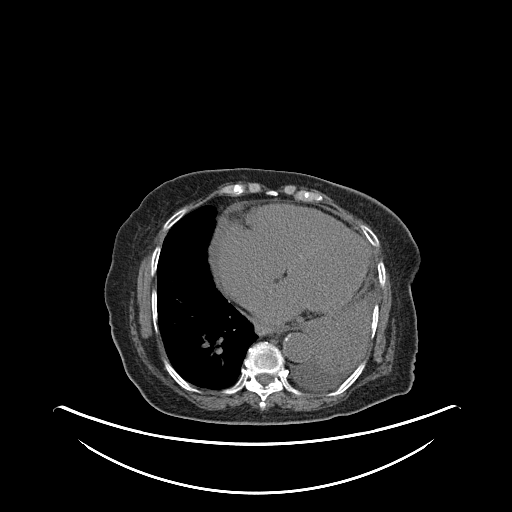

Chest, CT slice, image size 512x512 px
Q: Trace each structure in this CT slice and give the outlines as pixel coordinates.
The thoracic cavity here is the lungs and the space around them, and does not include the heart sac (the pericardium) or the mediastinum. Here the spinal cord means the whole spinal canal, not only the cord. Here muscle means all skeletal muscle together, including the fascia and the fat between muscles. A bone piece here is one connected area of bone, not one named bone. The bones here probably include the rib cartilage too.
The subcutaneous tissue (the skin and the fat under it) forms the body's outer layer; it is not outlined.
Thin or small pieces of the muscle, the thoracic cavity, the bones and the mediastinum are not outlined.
A: {"bones":[{"outer":[[262,341],[274,345],[281,352],[284,365],[289,371],[287,375],[288,381],[302,392],[301,395],[296,395],[285,389],[274,391],[266,397],[263,409],[259,406],[261,399],[254,391],[243,388],[232,394],[221,392],[221,390],[232,386],[238,380],[248,349]],"hole":[[259,374],[269,374],[270,375],[271,375],[272,376],[272,380],[270,382],[269,382],[266,385],[263,385],[261,383],[260,383],[257,380],[257,379],[256,378],[256,376],[257,375],[258,375]]},[[250,182],[255,182],[259,184],[262,189],[262,191],[261,192],[259,192],[258,193],[249,193],[248,192],[240,195],[229,195],[228,194],[222,194],[220,192],[220,189],[226,185],[229,185],[234,183],[239,183],[240,184],[244,184],[246,185]],[[290,184],[294,185],[298,189],[303,189],[304,190],[307,190],[314,193],[317,193],[322,196],[322,200],[318,202],[316,201],[308,202],[307,201],[296,200],[291,195],[287,195],[286,194],[284,194],[282,192],[283,188],[286,185],[289,185]],[[363,360],[365,360],[366,361],[365,366],[362,370],[361,373],[358,376],[358,377],[355,380],[355,381],[343,392],[337,395],[335,395],[334,396],[328,396],[327,395],[327,393],[335,390],[354,371],[354,370],[357,367],[357,366],[360,363],[360,362]],[[162,358],[166,358],[168,360],[168,361],[170,363],[172,367],[183,379],[184,379],[192,386],[197,388],[201,392],[200,393],[198,393],[197,392],[193,392],[192,391],[186,390],[182,387],[181,387],[175,381],[175,380],[166,370],[164,366]],[[182,207],[186,207],[188,209],[188,211],[176,222],[175,222],[167,231],[164,231],[162,229],[162,227],[164,223],[166,221],[166,220],[167,220],[168,218],[169,218],[170,216],[172,215],[172,214],[173,214],[176,211],[177,211]],[[360,224],[365,224],[366,225],[367,225],[374,232],[374,233],[377,236],[377,237],[379,240],[379,247],[378,248],[377,248],[376,247],[374,247],[370,244],[370,243],[368,241],[368,240],[362,232],[362,231],[359,226],[359,225]],[[153,289],[156,289],[156,293],[157,294],[157,326],[158,327],[158,333],[156,333],[156,332],[155,331],[155,330],[154,329],[154,325],[153,324],[153,317],[152,316],[152,308],[151,307],[151,292],[152,291],[152,290]],[[157,245],[160,245],[161,246],[160,247],[160,252],[159,253],[159,257],[158,258],[158,261],[157,262],[157,268],[156,269],[156,272],[155,273],[155,275],[154,276],[152,276],[151,275],[151,256],[152,255],[152,252],[153,251],[154,248]],[[380,260],[382,260],[383,261],[384,263],[384,265],[385,266],[385,282],[384,283],[384,285],[383,287],[381,287],[380,286],[379,284],[379,282],[378,281],[378,278],[377,277],[377,269],[376,268],[376,265],[377,263]],[[376,303],[378,304],[378,306],[379,307],[379,309],[378,310],[378,319],[377,320],[377,325],[376,326],[376,329],[375,330],[374,336],[373,338],[371,338],[370,337],[370,334],[371,333],[371,321],[372,320],[372,312],[373,311],[374,305]]],"pericardium":[[[274,199],[291,200],[330,207],[347,218],[360,232],[361,231],[371,246],[373,251],[373,273],[369,283],[360,294],[336,312],[314,318],[307,323],[273,325],[248,316],[228,300],[216,285],[210,267],[209,248],[216,229],[218,217],[224,210],[238,202]]],"mediastinum":[[[232,304],[248,317],[259,320],[273,326],[288,326],[306,323],[307,330],[312,338],[312,352],[309,358],[299,365],[291,365],[289,367],[286,367],[285,359],[282,352],[274,344],[266,340],[258,341],[252,344],[258,338],[258,336],[254,331],[254,326]],[[248,193],[249,194],[264,193],[268,196],[273,197],[283,194],[287,196],[291,196],[295,200],[274,198],[273,199],[251,199],[238,201],[224,209],[217,217],[217,222],[216,221],[217,216],[216,208],[211,204],[204,204],[206,202],[220,195],[240,196]],[[374,258],[374,262],[375,263],[375,275],[373,277],[373,279],[372,280],[372,285],[365,292],[365,293],[356,301],[355,301],[352,304],[346,307],[344,307],[355,299],[358,296],[358,295],[360,295],[370,283],[370,281],[372,279],[372,276],[374,273]]],"torso":[[[221,168],[260,168],[313,175],[361,191],[401,219],[421,257],[411,285],[418,349],[414,380],[407,393],[349,415],[285,425],[229,425],[186,419],[163,413],[144,399],[124,370],[112,339],[104,300],[114,239],[119,227],[142,199],[163,182],[189,172]]],"spinal_cord":[[[259,374],[269,374],[270,375],[271,375],[272,376],[272,380],[270,382],[269,382],[266,385],[263,385],[261,383],[260,383],[257,380],[257,379],[256,378],[256,376],[257,375],[258,375]]],"muscle":[[[162,225],[161,229],[166,233],[161,245],[157,244],[150,256],[150,275],[156,277],[156,288],[150,292],[152,324],[167,357],[161,358],[163,366],[184,390],[200,394],[198,388],[202,388],[232,395],[245,389],[258,395],[258,406],[259,408],[262,410],[266,407],[267,397],[274,392],[285,390],[296,396],[301,396],[302,391],[328,392],[328,397],[334,397],[347,390],[366,366],[367,361],[362,358],[378,325],[377,278],[379,286],[384,287],[386,266],[382,259],[376,264],[372,247],[378,249],[380,241],[390,273],[390,316],[396,327],[391,371],[357,388],[344,400],[316,410],[287,411],[272,407],[267,410],[260,410],[244,405],[207,410],[197,406],[147,368],[131,338],[131,293],[136,292],[141,260]],[[295,185],[305,186],[308,188],[313,188],[326,194],[332,198],[340,206],[349,211],[356,217],[361,219],[367,224],[365,223],[360,223],[358,225],[360,231],[347,217],[332,208],[329,205],[323,203],[322,202],[323,196],[321,194],[307,189],[298,188]],[[239,180],[251,181],[246,184],[239,182],[234,182],[226,184],[219,189],[219,192],[221,194],[212,197],[206,201],[205,203],[189,211],[189,209],[186,206],[183,206],[194,200],[196,200],[198,198],[204,196],[217,188],[219,185],[225,182],[236,182]],[[258,183],[261,183],[262,184],[264,184],[266,186],[270,188],[276,188],[281,185],[285,185],[281,190],[281,192],[282,193],[279,193],[279,192],[274,188],[270,188],[269,189],[265,190],[264,192],[262,192],[263,191],[263,189],[261,185],[259,183]]],"thoracic_cavity":[[[202,205],[211,205],[216,210],[216,222],[207,247],[207,261],[215,286],[226,300],[252,324],[253,331],[257,336],[256,340],[246,351],[237,380],[232,385],[222,389],[197,387],[183,378],[168,359],[158,326],[156,273],[164,238],[172,226],[183,216]],[[376,272],[377,293],[376,301],[371,312],[369,339],[367,342],[367,347],[359,363],[353,371],[333,390],[314,392],[295,387],[288,379],[290,371],[288,368],[303,364],[310,358],[313,352],[313,338],[308,330],[308,322],[336,313],[352,305],[373,285]]]}